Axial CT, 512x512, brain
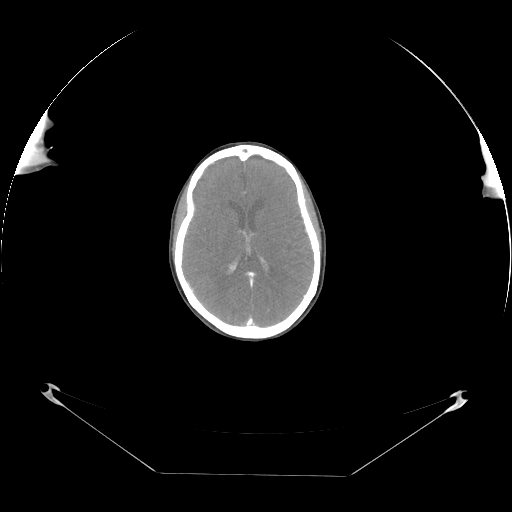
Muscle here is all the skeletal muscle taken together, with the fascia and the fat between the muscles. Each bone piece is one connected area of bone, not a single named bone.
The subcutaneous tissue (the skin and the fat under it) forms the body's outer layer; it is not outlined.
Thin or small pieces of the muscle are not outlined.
Outlines:
left arm: (479, 134) (482, 134) (482, 137) (487, 144) (487, 146) (495, 164) (496, 169) (502, 183) (502, 187) (504, 193) (504, 199) (494, 198) (493, 197) (483, 197) (482, 196) (483, 182) (481, 180) (481, 176) (482, 176) (485, 172) (486, 166) (481, 154) (481, 149) (479, 143)
muscle 1: (41, 117) (44, 119) (46, 123) (46, 125) (41, 134) (41, 138) (40, 139) (40, 150) (45, 158) (45, 161) (41, 162) (40, 163) (33, 164) (29, 166) (18, 167) (15, 169) (16, 165) (18, 162) (18, 160) (20, 157) (20, 155) (32, 131) (34, 129) (35, 126)
muscle 2: (483, 138) (487, 144) (487, 146) (495, 164) (496, 169) (498, 172) (499, 177) (502, 183) (502, 187) (503, 188) (503, 192) (504, 194) (498, 194) (497, 193) (495, 193) (493, 191) (490, 190) (487, 186) (487, 178) (491, 168) (490, 167) (490, 164) (485, 151)
muscle 3: (301, 177) (310, 195) (310, 197) (314, 207) (314, 210) (317, 217) (318, 224) (320, 228) (321, 241) (322, 242) (321, 267) (321, 245) (317, 237) (317, 234) (306, 204) (306, 198) (304, 194) (304, 189) (303, 188) (303, 184) (301, 180)
muscle 4: (186, 186) (186, 192) (185, 193) (185, 213) (179, 224) (179, 226) (176, 233) (176, 237) (174, 240) (173, 258) (172, 258) (171, 246) (172, 245) (172, 241) (173, 240) (173, 228) (174, 227) (175, 216) (176, 215) (179, 200) (181, 197) (183, 190)
bones: (240, 144) (259, 145) (269, 148) (281, 154) (293, 164) (299, 174) (305, 204) (320, 245) (320, 274) (314, 296) (302, 314) (287, 329) (265, 338) (233, 336) (210, 323) (189, 303) (177, 278) (173, 262) (175, 240) (186, 213) (186, 193) (190, 176) (197, 166) (214, 152) with a hole at (255, 155) (283, 168) (292, 181) (299, 214) (312, 253) (311, 275) (301, 299) (285, 317) (267, 325) (253, 323) (251, 317) (244, 324) (223, 320) (210, 311) (197, 297) (183, 269) (184, 243) (195, 213) (193, 193) (198, 181) (205, 170) (219, 160) (235, 156) (245, 162)
right arm: (46, 109) (47, 109) (53, 119) (53, 126) (46, 134) (46, 138) (49, 144) (52, 146) (52, 149) (50, 152) (50, 155) (58, 164) (54, 166) (48, 166) (45, 168) (43, 168) (34, 172) (14, 175) (15, 168) (20, 157) (20, 155) (32, 131) (42, 116) (43, 112)
head: (241, 140) (267, 143) (283, 152) (294, 162) (311, 188) (326, 231) (325, 279) (315, 305) (301, 323) (289, 333) (276, 339) (261, 342) (236, 341) (223, 337) (206, 327) (182, 301) (171, 277) (167, 259) (170, 215) (177, 194) (186, 178) (200, 158) (212, 148) (227, 142)
brain: (255, 155) (283, 168) (292, 181) (299, 214) (312, 253) (311, 275) (301, 299) (285, 317) (267, 325) (253, 323) (251, 317) (244, 324) (223, 320) (210, 311) (197, 297) (183, 269) (184, 243) (195, 213) (193, 193) (198, 181) (205, 170) (219, 160) (235, 156) (245, 162)